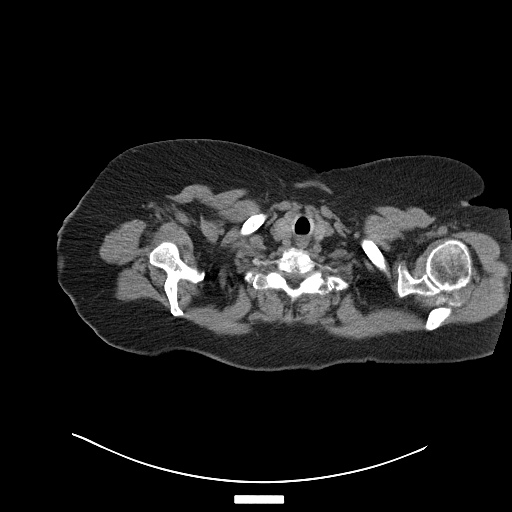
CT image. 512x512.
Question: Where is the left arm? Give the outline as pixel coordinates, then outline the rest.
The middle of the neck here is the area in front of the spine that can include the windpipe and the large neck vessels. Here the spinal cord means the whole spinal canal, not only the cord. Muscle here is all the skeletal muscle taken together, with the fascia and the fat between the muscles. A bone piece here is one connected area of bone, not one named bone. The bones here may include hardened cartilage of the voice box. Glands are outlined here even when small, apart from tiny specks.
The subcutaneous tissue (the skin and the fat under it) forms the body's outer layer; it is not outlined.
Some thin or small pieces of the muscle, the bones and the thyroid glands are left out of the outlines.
Answer: {"left_arm":[[[469,203],[473,205],[485,205],[491,207],[503,206],[506,208],[508,214],[509,229],[511,236],[511,282],[506,301],[506,308],[499,331],[472,319],[454,307],[440,293],[432,280],[430,276],[428,265],[424,256],[424,245],[431,226],[445,214],[459,210]]],"bones":[{"outer":[[291,247],[307,251],[318,269],[326,272],[325,266],[332,268],[330,272],[343,278],[349,283],[349,286],[341,290],[333,289],[325,295],[303,293],[294,301],[291,301],[280,288],[254,288],[243,277],[247,270],[261,269],[254,260],[277,259],[284,250]],"hole":[[290,273],[297,273],[298,274],[299,274],[300,275],[302,275],[303,276],[303,278],[302,279],[302,280],[298,284],[298,285],[297,286],[296,286],[295,287],[292,287],[287,282],[287,280],[286,279],[286,278],[285,277],[285,274],[289,274]]},[[448,239],[460,240],[467,246],[472,259],[472,274],[470,281],[465,286],[450,292],[443,292],[429,296],[411,293],[403,297],[399,297],[397,293],[396,284],[397,268],[399,264],[404,261],[409,273],[414,278],[420,278],[425,273],[426,259],[431,250]],[[164,240],[170,241],[177,246],[180,258],[186,264],[205,272],[204,279],[195,284],[184,279],[178,281],[177,301],[183,312],[183,316],[174,316],[171,314],[170,304],[164,290],[164,283],[167,276],[166,272],[162,268],[149,262],[149,253],[151,250]],[[364,237],[370,239],[377,246],[377,247],[384,256],[384,258],[386,262],[386,267],[389,273],[389,276],[388,276],[383,271],[380,270],[377,267],[376,267],[376,266],[370,260],[370,259],[367,256],[367,255],[361,247],[360,245],[360,241],[361,239]],[[440,306],[450,306],[451,307],[451,313],[449,315],[449,316],[447,317],[442,322],[440,326],[432,330],[430,330],[429,331],[425,330],[424,329],[424,325],[426,322],[426,320],[427,319],[427,316],[429,312],[433,308],[435,308],[436,307],[439,307]],[[258,213],[264,213],[266,214],[267,216],[266,217],[266,219],[263,222],[263,223],[256,230],[255,230],[253,232],[247,235],[243,235],[241,234],[240,233],[240,230],[241,229],[241,227],[243,223],[250,216],[254,214],[257,214]]],"middle_of_the_neck":[[[301,210],[314,217],[313,238],[316,242],[324,238],[324,225],[321,219],[332,227],[331,238],[318,251],[310,251],[294,246],[286,248],[286,244],[281,244],[282,242],[279,240],[275,241],[271,235],[270,227],[272,226],[284,239],[290,239],[296,212]]],"thyroid_glands":[[[290,210],[293,210],[295,211],[295,214],[293,218],[293,221],[291,224],[291,232],[290,233],[291,234],[290,235],[290,238],[284,238],[282,236],[282,235],[276,230],[276,228],[274,226],[271,225],[275,220],[282,218],[284,216],[284,214],[285,214]],[[315,214],[317,214],[318,215],[320,215],[321,216],[321,218],[320,219],[321,220],[321,222],[323,225],[323,238],[321,240],[320,240],[319,241],[316,241],[314,238],[314,234],[315,233],[314,232],[315,231],[315,222],[316,221],[315,220]]],"right_arm":[[[105,166],[113,170],[120,177],[127,185],[128,188],[137,200],[141,208],[145,222],[144,236],[141,242],[130,252],[123,256],[111,260],[86,260],[66,255],[59,251],[56,248],[56,234],[63,220],[74,208],[82,195],[90,186],[96,176]]],"muscle":[{"outer":[[195,183],[245,188],[270,200],[324,199],[348,218],[373,205],[420,207],[487,233],[511,249],[507,300],[496,314],[479,322],[441,326],[452,307],[440,305],[428,312],[424,330],[361,340],[335,337],[314,326],[284,324],[218,335],[180,317],[179,281],[195,285],[206,272],[186,263],[178,246],[164,239],[150,250],[148,262],[165,272],[169,311],[150,298],[122,301],[113,295],[114,271],[98,253],[104,236],[151,202]],"holes":[[[290,210],[320,215],[330,224],[329,241],[318,251],[307,251],[318,269],[326,272],[328,266],[347,281],[346,289],[325,295],[303,293],[291,301],[280,288],[256,289],[244,279],[247,270],[261,269],[254,260],[282,255],[287,245],[275,241],[270,227]],[[448,239],[460,240],[467,246],[472,259],[472,274],[470,281],[465,286],[450,292],[443,292],[429,296],[411,293],[403,297],[399,297],[397,293],[396,284],[397,268],[399,264],[404,261],[409,273],[414,278],[420,278],[425,273],[426,259],[431,250]],[[364,237],[370,239],[377,246],[377,247],[384,256],[384,258],[386,262],[386,267],[389,273],[389,276],[388,276],[383,271],[380,270],[377,267],[376,267],[376,266],[370,260],[370,259],[367,256],[367,255],[361,247],[360,245],[360,241],[361,239]],[[258,213],[264,213],[266,214],[267,216],[266,217],[266,219],[263,222],[263,223],[256,230],[255,230],[253,232],[247,235],[243,235],[241,234],[240,233],[240,230],[241,229],[241,227],[243,223],[250,216],[254,214],[257,214]]]}],"torso":[[[177,138],[233,141],[317,170],[417,154],[473,167],[484,191],[430,226],[423,256],[439,293],[499,332],[491,354],[450,364],[267,372],[189,351],[147,357],[106,343],[60,287],[56,249],[86,261],[134,250],[145,236],[144,214],[106,164],[133,146]]],"spinal_cord":[[[290,273],[297,273],[298,274],[299,274],[300,275],[302,275],[303,276],[303,278],[302,279],[302,280],[298,284],[298,285],[297,286],[296,286],[295,287],[292,287],[287,282],[287,280],[286,279],[286,278],[285,277],[285,274],[289,274]]]}